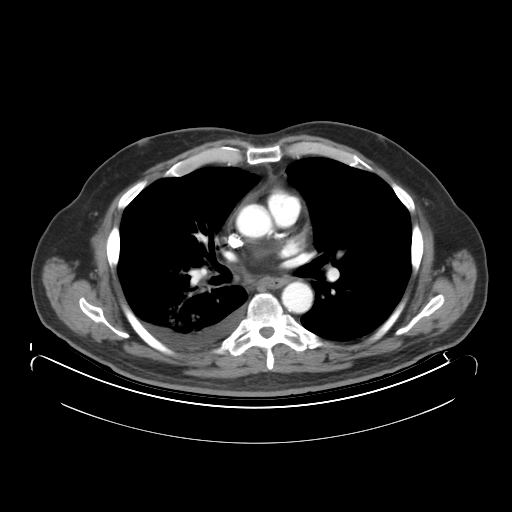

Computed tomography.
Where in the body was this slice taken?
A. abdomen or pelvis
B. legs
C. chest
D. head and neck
C. chest
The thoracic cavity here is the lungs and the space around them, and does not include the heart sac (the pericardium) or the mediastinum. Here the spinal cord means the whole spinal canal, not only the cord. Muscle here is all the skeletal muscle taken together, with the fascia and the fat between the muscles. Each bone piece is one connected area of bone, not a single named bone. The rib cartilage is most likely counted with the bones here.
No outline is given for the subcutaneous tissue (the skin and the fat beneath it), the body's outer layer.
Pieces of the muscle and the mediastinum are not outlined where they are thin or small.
The muscle is outlined by (294, 134) (307, 134) (327, 138) (357, 150) (384, 169) (404, 186) (410, 189) (416, 196) (426, 217) (436, 226) (467, 247) (474, 258) (477, 269) (474, 293) (471, 301) (462, 315) (449, 328) (437, 335) (426, 337) (416, 341) (400, 350) (356, 361) (351, 366) (344, 369) (325, 372) (290, 373) (266, 371) (235, 378) (204, 378) (184, 374) (181, 370) (160, 362) (150, 361) (143, 358) (130, 357) (108, 346) (101, 345) (88, 340) (74, 332) (57, 316) (46, 295) (45, 288) (42, 282) (42, 268) (45, 261) (52, 256) (57, 256) (65, 252) (71, 251) (90, 240) (100, 225) (114, 197) (128, 185) (137, 180) (145, 170) (160, 162) (170, 159) (184, 151) (209, 141) (228, 137) (238, 137) (256, 145) (266, 145) (286, 135), around holes outlined by (300, 141) (355, 154) (412, 198) (423, 252) (396, 321) (374, 341) (375, 329) (302, 351) (277, 343) (271, 370) (255, 345) (239, 355) (214, 353) (219, 343) (171, 347) (169, 355) (147, 344) (124, 315) (120, 304) (128, 302) (107, 258) (121, 196) (206, 149) and by (81, 297) (83, 297) (90, 304) (94, 306) (100, 307) (102, 309) (103, 315) (106, 320) (116, 329) (126, 332) (129, 335) (129, 337) (124, 338) (118, 335) (111, 329) (110, 329) (104, 323) (102, 322) (96, 322) (90, 317) (86, 315) (82, 311) (79, 306) (79, 299) and by (437, 294) (442, 294) (444, 296) (444, 302) (440, 307) (436, 309) (429, 315) (423, 316) (420, 318) (412, 326) (412, 327) (406, 332) (402, 333) (399, 335) (396, 335) (395, 334) (395, 332) (399, 328) (405, 326) (411, 320) (411, 319) (422, 309) (430, 299). The torso is outlined by (312, 120) (356, 125) (398, 143) (433, 172) (477, 227) (486, 251) (487, 300) (478, 321) (459, 343) (407, 369) (364, 383) (288, 397) (226, 398) (120, 377) (74, 351) (42, 324) (30, 285) (37, 242) (52, 217) (107, 158) (142, 137) (170, 130) (217, 126) (265, 133). The bones appear in 10 outlined pieces: piece 1: (258, 293) (272, 294) (284, 313) (290, 315) (307, 330) (327, 340) (330, 344) (296, 351) (284, 343) (277, 343) (272, 347) (273, 367) (271, 370) (266, 365) (266, 350) (255, 345) (239, 355) (232, 355) (228, 351) (222, 354) (214, 353) (213, 350) (246, 316) (249, 301), around a hole outlined by (263, 327) (271, 327) (273, 329) (273, 333) (270, 336) (269, 336) (268, 337) (265, 337) (264, 336) (263, 336) (260, 333) (260, 329) (261, 328) (262, 328); piece 2: (300, 141) (318, 142) (355, 154) (373, 172) (330, 157) (309, 154) (298, 158) (285, 155) (278, 161) (257, 164) (244, 161) (236, 165) (229, 162) (210, 163) (181, 176) (162, 177) (175, 163) (206, 149) (231, 146) (244, 151) (248, 146) (268, 147) (277, 144) (284, 149); piece 3: (121, 301) (125, 302) (129, 306) (133, 313) (141, 322) (145, 328) (154, 337) (166, 346) (169, 347) (173, 350) (174, 354) (169, 355) (168, 354) (163, 353) (147, 344) (135, 332) (130, 325) (129, 322) (124, 315) (124, 313) (121, 308) (121, 305) (120, 304) (121, 303); piece 4: (81, 297) (83, 297) (90, 304) (94, 306) (100, 307) (102, 309) (103, 315) (106, 320) (116, 329) (126, 332) (129, 335) (129, 337) (124, 338) (118, 335) (111, 329) (110, 329) (104, 323) (102, 322) (96, 322) (90, 317) (86, 315) (82, 311) (79, 306) (79, 299); piece 5: (437, 294) (442, 294) (444, 296) (444, 302) (440, 307) (436, 309) (429, 315) (423, 316) (420, 318) (412, 326) (412, 327) (406, 332) (402, 333) (399, 335) (396, 335) (395, 334) (395, 332) (399, 328) (405, 326) (411, 320) (411, 319) (422, 309) (430, 299); piece 6: (416, 223) (419, 226) (419, 228) (421, 231) (421, 234) (422, 235) (422, 239) (423, 240) (423, 252) (421, 256) (421, 260) (419, 264) (419, 267) (418, 268) (418, 270) (415, 274) (413, 274) (412, 273) (412, 266) (411, 265) (411, 241) (412, 240) (412, 226); piece 7: (114, 225) (117, 225) (119, 229) (119, 257) (118, 258) (118, 262) (117, 263) (116, 268) (113, 271) (109, 265) (109, 263) (108, 262) (108, 259) (107, 258) (107, 251) (106, 250) (106, 242) (107, 241) (107, 238) (108, 237) (108, 235) (111, 229); piece 8: (404, 299) (406, 299) (405, 306) (403, 310) (401, 312) (400, 315) (398, 317) (396, 321) (392, 325) (392, 326) (386, 332) (386, 333) (379, 339) (375, 340) (374, 341) (369, 341) (368, 339) (370, 337) (370, 336) (371, 336) (389, 317) (389, 316) (395, 309) (399, 302); piece 9: (143, 179) (146, 179) (147, 180) (148, 182) (147, 185) (145, 187) (144, 187) (138, 193) (138, 194) (123, 209) (119, 209) (117, 206) (118, 205) (118, 202) (121, 196) (130, 187) (131, 187) (135, 183); piece 10: (392, 182) (395, 182) (397, 184) (398, 184) (401, 187) (402, 187) (410, 195) (410, 196) (413, 200) (413, 202) (414, 203) (414, 206) (415, 207) (414, 209) (414, 211) (413, 212) (409, 212) (407, 208) (398, 198) (395, 192) (393, 190) (393, 189) (390, 185) (390, 184). The pericardium is outlined by (273, 177) (275, 177) (287, 186) (295, 189) (303, 198) (307, 208) (309, 221) (311, 225) (312, 253) (304, 262) (294, 268) (283, 270) (262, 271) (252, 268) (243, 267) (228, 260) (220, 252) (219, 238) (224, 232) (228, 222) (240, 204) (254, 191) (265, 186). The spinal cord is outlined by (263, 327) (271, 327) (273, 329) (273, 333) (270, 336) (269, 336) (268, 337) (265, 337) (264, 336) (263, 336) (260, 333) (260, 329) (261, 328) (262, 328). The thoracic cavity appears in 2 outlined pieces: piece 1: (206, 165) (234, 166) (259, 178) (236, 202) (217, 234) (217, 259) (231, 271) (233, 283) (245, 290) (246, 313) (219, 343) (195, 350) (178, 349) (166, 345) (154, 336) (137, 317) (126, 299) (117, 272) (120, 257) (119, 226) (124, 209) (148, 185) (160, 178) (181, 177); piece 2: (312, 156) (330, 158) (376, 174) (390, 186) (409, 213) (411, 272) (405, 289) (388, 317) (376, 329) (356, 339) (326, 339) (300, 322) (314, 304) (315, 290) (312, 286) (314, 279) (297, 272) (318, 252) (313, 242) (313, 228) (306, 201) (289, 182) (286, 168) (298, 159). The mediastinum appears in 2 outlined pieces: piece 1: (313, 243) (317, 255) (296, 272) (299, 276) (313, 279) (311, 286) (314, 290) (313, 304) (299, 321) (284, 312) (278, 299) (270, 292) (258, 292) (248, 302) (246, 290) (234, 283) (234, 274) (218, 259) (219, 252) (228, 261) (243, 268) (262, 272) (289, 270) (312, 255); piece 2: (284, 157) (297, 159) (291, 162) (285, 168) (287, 180) (295, 188) (287, 185) (273, 176) (265, 185) (254, 190) (239, 204) (231, 215) (223, 232) (219, 236) (218, 244) (218, 234) (237, 202) (255, 186) (260, 179) (257, 174) (235, 166) (243, 162) (248, 165) (278, 162).